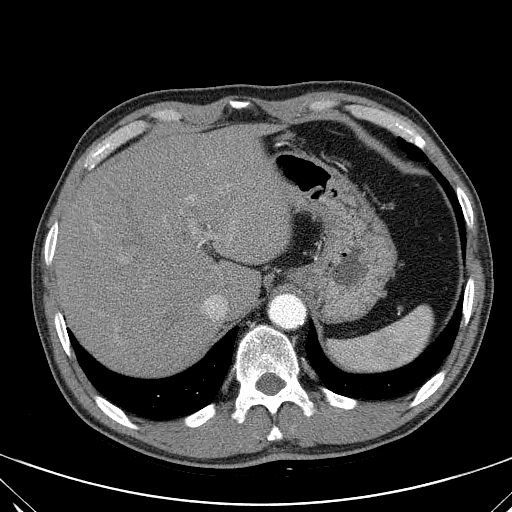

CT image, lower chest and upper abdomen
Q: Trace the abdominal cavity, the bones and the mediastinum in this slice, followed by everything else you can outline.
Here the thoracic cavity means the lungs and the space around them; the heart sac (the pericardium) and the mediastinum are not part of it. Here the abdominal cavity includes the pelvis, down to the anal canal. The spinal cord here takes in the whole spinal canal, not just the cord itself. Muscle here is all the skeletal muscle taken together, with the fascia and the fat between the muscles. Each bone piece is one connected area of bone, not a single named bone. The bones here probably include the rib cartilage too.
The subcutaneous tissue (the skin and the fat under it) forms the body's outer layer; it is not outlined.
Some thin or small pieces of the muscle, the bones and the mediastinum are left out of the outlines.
A: The abdominal cavity is outlined by 249 108; 272 116; 347 112; 404 159; 427 163; 443 188; 465 284; 445 327; 411 362; 377 373; 339 369; 318 342; 306 302; 291 291; 268 297; 196 363; 162 378; 106 368; 67 326; 53 260; 64 206; 88 170; 162 122; 202 122. The bones appear in 14 outlined pieces: piece 1: 259 324; 287 335; 292 351; 304 357; 313 370; 310 378; 302 370; 299 374; 302 386; 315 404; 312 415; 308 417; 295 403; 284 401; 274 418; 262 404; 251 406; 241 423; 231 418; 239 384; 232 373; 229 380; 228 376; 237 343 with a hole at 266 373; 272 373; 276 376; 279 377; 284 382; 284 385; 283 387; 281 388; 276 393; 272 395; 269 395; 268 394; 266 394; 262 391; 259 390; 257 388; 257 386; 256 385; 257 383; 257 381; 264 374; piece 2: 346 104; 359 104; 364 106; 374 107; 389 112; 407 122; 413 127; 425 140; 426 144; 424 148; 424 151; 414 144; 406 141; 402 137; 396 135; 387 128; 378 125; 375 123; 372 123; 369 121; 357 118; 350 114; 344 109; 344 105; piece 3: 139 119; 143 119; 148 123; 148 126; 141 133; 128 139; 125 142; 116 147; 115 149; 110 152; 91 169; 87 169; 84 167; 83 165; 86 157; 90 151; 92 150; 98 143; 118 128; 124 125; 126 125; 130 122; piece 4: 95 394; 98 394; 102 396; 111 403; 123 410; 127 414; 131 421; 138 425; 139 428; 138 429; 133 429; 132 428; 130 428; 127 426; 125 426; 117 422; 115 420; 112 419; 109 416; 108 416; 96 404; 93 398; 93 395; piece 5: 443 369; 446 370; 446 373; 445 374; 445 376; 444 377; 444 379; 442 383; 437 388; 437 389; 432 394; 431 394; 423 401; 420 402; 418 404; 412 407; 409 407; 409 403; 413 399; 417 390; 433 375; 434 375; 438 371; 442 370; piece 6: 212 402; 214 402; 216 404; 216 406; 215 407; 216 409; 216 412; 214 416; 213 416; 211 418; 207 420; 204 423; 196 427; 189 427; 188 426; 186 426; 183 423; 183 418; 184 417; 203 408; 205 406; 208 405; piece 7: 470 276; 472 276; 474 280; 474 294; 473 295; 473 302; 472 303; 471 314; 470 315; 469 320; 466 325; 463 325; 461 322; 461 320; 462 319; 462 304; 463 303; 463 293; 464 292; 464 288; 465 287; 465 285; 466 284; 467 279; piece 8: 320 386; 323 386; 327 389; 337 394; 343 395; 347 397; 350 397; 351 398; 356 399; 358 402; 357 406; 351 409; 345 409; 341 407; 337 407; 336 406; 333 406; 331 405; 325 399; 325 396; 324 394; 320 390; 319 388; piece 9: 56 311; 60 311; 61 312; 66 325; 67 333; 68 334; 69 341; 70 342; 70 346; 72 349; 72 352; 73 353; 73 355; 71 357; 69 357; 64 350; 57 334; 57 331; 55 328; 55 325; 54 324; 54 314; piece 10: 56 220; 58 221; 58 229; 57 230; 57 240; 56 241; 55 250; 54 251; 54 254; 53 255; 52 263; 50 265; 46 265; 45 263; 45 259; 44 258; 44 246; 45 245; 45 240; 46 239; 47 233; 49 229; 51 227; 53 223; piece 11: 457 186; 461 187; 461 188; 464 191; 465 194; 469 200; 469 202; 473 212; 473 228; 471 229; 468 228; 466 226; 466 224; 465 223; 465 220; 463 216; 462 209; 459 203; 459 201; 455 191; 455 188; piece 12: 164 108; 171 108; 172 109; 174 109; 175 110; 178 111; 181 114; 181 118; 178 121; 162 121; 161 120; 159 120; 156 118; 152 118; 151 117; 150 117; 149 116; 149 115; 152 111; 153 111; 154 110; 156 110; 157 109; 163 109; piece 13: 321 99; 333 99; 338 102; 338 105; 332 108; 330 108; 329 109; 326 109; 322 111; 320 110; 316 110; 315 111; 313 111; 309 108; 308 106; 309 104; 313 101; 315 101; 316 100; 320 100; piece 14: 273 424; 275 424; 278 427; 278 428; 279 429; 279 430; 281 432; 281 433; 283 436; 283 437; 281 439; 276 439; 275 440; 268 440; 267 439; 267 436; 268 435; 268 434; 269 433; 269 432; 270 431; 270 430; 272 427; 272 425. The mediastinum appears in 2 outlined pieces: piece 1: 280 292; 291 292; 296 294; 307 306; 309 314; 308 330; 304 341; 305 351; 301 355; 293 351; 287 334; 266 323; 259 323; 247 330; 237 342; 239 332; 239 326; 237 325; 247 315; 263 304; 268 298; 274 294; 279 294; piece 2: 355 118; 369 122; 372 124; 375 124; 381 127; 383 127; 393 133; 396 136; 398 136; 396 141; 397 142; 397 145; 399 149; 401 150; 405 154; 405 155; 411 160; 419 162; 411 161; 401 156; 385 141; 373 135. The thoracic cavity appears in 4 outlined pieces: piece 1: 235 326; 238 326; 238 332; 233 362; 230 371; 215 399; 185 416; 167 420; 146 419; 131 413; 127 413; 101 395; 78 362; 71 346; 67 328; 72 332; 79 345; 106 369; 131 378; 153 380; 171 377; 190 368; 201 360; 214 344; piece 2: 462 292; 461 319; 449 353; 434 374; 416 390; 405 395; 391 399; 371 400; 357 399; 337 393; 322 384; 302 355; 306 351; 305 341; 311 321; 323 354; 339 370; 350 374; 377 374; 401 368; 415 360; 443 331; 456 309; piece 3: 429 163; 432 163; 439 170; 448 181; 455 192; 465 224; 466 247; 465 248; 465 258; 464 259; 462 257; 460 234; 459 233; 458 222; 456 219; 456 214; 454 211; 454 208; 444 188; 432 172; 430 171; 428 167; 428 164; piece 4: 399 137; 402 138; 406 142; 414 145; 420 150; 424 152; 428 159; 427 162; 423 162; 422 161; 417 161; 416 160; 411 159; 409 157; 408 157; 408 156; 406 155; 406 154; 401 149; 400 149; 398 145; 398 142; 397 140. The muscle is outlined by 328 90; 344 92; 366 97; 406 116; 419 125; 432 138; 439 147; 449 163; 458 173; 472 196; 476 209; 477 221; 478 222; 479 256; 483 268; 485 289; 477 333; 471 350; 456 377; 442 395; 432 405; 421 411; 413 418; 382 435; 371 439; 367 439; 363 441; 358 441; 352 443; 345 443; 344 444; 320 443; 313 446; 302 447; 297 444; 291 443; 287 440; 282 440; 281 441; 274 441; 261 450; 251 453; 239 453; 226 457; 198 458; 168 452; 129 435; 122 434; 100 422; 91 415; 79 403; 65 383; 65 381; 60 373; 58 366; 55 362; 53 355; 53 350; 49 337; 50 336; 48 331; 48 326; 43 307; 43 299; 42 298; 43 286; 40 276; 40 267; 38 265; 41 245; 47 230; 46 223; 52 209; 56 203; 61 188; 76 160; 97 138; 105 133; 124 116; 136 109; 156 102; 179 101; 185 103; 203 105; 211 103; 223 97; 230 95; 249 96; 264 100; 284 100; 296 97; 308 92; 327 91; inner edges: 232 99; 249 101; 254 109; 272 116; 312 112; 309 104; 321 99; 337 101; 338 105; 329 109; 340 112; 346 111; 346 104; 389 112; 420 134; 426 142; 427 158; 454 190; 459 186; 464 191; 473 212; 473 228; 465 227; 465 281; 470 276; 474 280; 471 314; 466 325; 459 323; 439 367; 446 370; 442 383; 423 401; 409 407; 414 390; 391 399; 360 398; 351 409; 333 406; 320 390; 323 385; 317 375; 308 378; 302 370; 299 380; 316 408; 308 417; 295 403; 284 401; 274 418; 265 406; 256 404; 243 422; 236 422; 230 414; 239 384; 232 373; 213 401; 214 416; 196 427; 186 426; 183 416; 153 420; 128 413; 139 427; 133 429; 96 404; 93 395; 100 393; 75 353; 67 355; 55 328; 54 314; 62 310; 54 263; 46 265; 44 258; 47 233; 60 221; 66 202; 88 171; 83 165; 86 157; 115 130; 139 119; 145 120; 148 128; 160 124; 161 120; 149 115; 164 108; 178 111; 181 122; 212 120; 233 109; 228 103, then 273 424; 275 424; 278 427; 278 428; 279 429; 279 430; 281 432; 281 433; 283 436; 283 437; 281 439; 276 439; 275 440; 268 440; 267 439; 267 436; 268 435; 268 434; 269 433; 269 432; 270 431; 270 430; 272 427; 272 425. The torso is outlined by 336 79; 377 85; 410 102; 447 145; 480 198; 493 260; 493 299; 479 350; 458 389; 415 430; 377 447; 338 457; 282 459; 239 468; 166 461; 131 449; 89 426; 68 404; 54 380; 31 299; 35 231; 80 136; 112 107; 150 91. The spinal cord is outlined by 266 373; 272 373; 276 376; 279 377; 284 382; 284 385; 283 387; 281 388; 276 393; 272 395; 269 395; 268 394; 266 394; 262 391; 259 390; 257 388; 257 386; 256 385; 257 383; 257 381; 264 374.